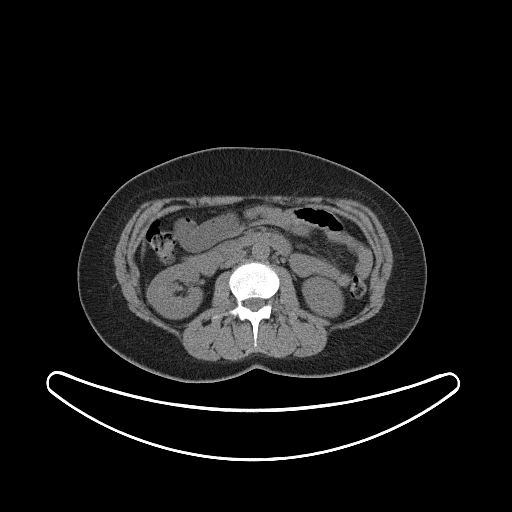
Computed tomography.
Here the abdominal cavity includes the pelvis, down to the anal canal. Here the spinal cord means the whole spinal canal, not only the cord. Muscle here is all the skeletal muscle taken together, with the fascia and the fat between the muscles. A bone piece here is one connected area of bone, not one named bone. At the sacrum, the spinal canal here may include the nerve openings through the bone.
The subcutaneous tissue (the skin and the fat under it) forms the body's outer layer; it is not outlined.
Outlined structures:
bones: [[247,261],[267,263],[275,269],[279,277],[278,289],[271,298],[271,314],[269,318],[264,318],[259,322],[256,346],[253,344],[253,328],[248,320],[241,320],[230,314],[212,318],[214,315],[221,315],[236,306],[236,298],[231,292],[228,281],[232,271]], around a hole outlined by [[250,298],[260,298],[261,299],[263,299],[264,300],[265,300],[265,304],[263,306],[262,306],[259,309],[258,309],[255,311],[253,311],[252,310],[251,310],[249,308],[246,307],[243,304],[243,303],[245,300],[246,300],[247,299],[249,299]]
muscle: [[249,194],[349,198],[369,207],[380,221],[393,255],[392,270],[380,310],[361,323],[334,331],[323,350],[317,354],[276,358],[252,353],[237,361],[197,359],[187,353],[173,334],[132,312],[115,276],[113,257],[121,232],[139,205],[148,200],[173,196]] with a hole at [[249,199],[338,213],[359,227],[375,265],[368,302],[357,314],[333,323],[300,307],[282,266],[273,267],[279,286],[256,346],[248,320],[212,318],[236,306],[230,270],[215,279],[211,305],[182,325],[146,306],[135,253],[151,222],[185,207]]
spinal cord: [[250,298],[260,298],[261,299],[263,299],[264,300],[265,300],[265,304],[263,306],[262,306],[259,309],[258,309],[255,311],[253,311],[252,310],[251,310],[249,308],[246,307],[243,304],[243,303],[245,300],[246,300],[247,299],[249,299]]
torso: [[219,146],[287,148],[318,155],[361,173],[400,203],[421,237],[427,283],[419,320],[394,352],[365,368],[328,377],[293,377],[255,368],[221,381],[189,383],[146,371],[99,338],[82,309],[77,289],[78,256],[94,218],[110,196],[140,172],[184,154]]
abdominal cavity: [[249,199],[338,213],[359,227],[373,251],[375,265],[369,279],[368,302],[357,314],[333,323],[310,313],[300,307],[288,270],[257,260],[247,260],[220,273],[213,285],[211,305],[182,325],[163,321],[146,306],[135,253],[151,222],[185,207],[218,206]]